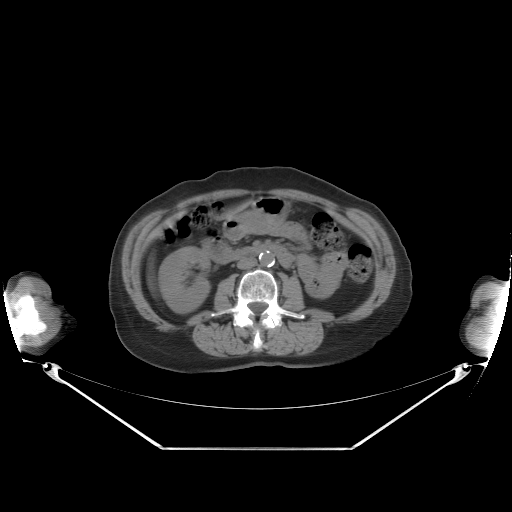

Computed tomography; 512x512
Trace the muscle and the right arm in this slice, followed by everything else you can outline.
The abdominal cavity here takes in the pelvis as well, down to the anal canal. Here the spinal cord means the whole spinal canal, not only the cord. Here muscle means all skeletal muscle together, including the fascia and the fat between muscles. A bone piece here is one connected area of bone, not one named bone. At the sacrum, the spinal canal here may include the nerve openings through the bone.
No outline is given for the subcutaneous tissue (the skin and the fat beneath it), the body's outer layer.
{"muscle":[{"outer":[[227,188],[242,188],[251,190],[255,189],[272,189],[273,188],[298,189],[326,198],[341,206],[355,207],[369,213],[381,224],[387,233],[391,242],[394,252],[394,256],[396,260],[396,273],[390,290],[390,293],[387,299],[380,306],[376,308],[369,316],[352,323],[336,324],[328,329],[325,332],[324,339],[320,346],[312,353],[302,356],[277,356],[266,354],[262,352],[257,354],[249,353],[242,356],[231,356],[227,358],[216,357],[201,351],[193,343],[190,336],[186,335],[181,331],[163,332],[156,329],[154,327],[155,325],[152,322],[145,319],[139,314],[127,293],[122,280],[121,254],[125,238],[130,228],[144,215],[153,210],[158,208],[169,207],[179,200],[193,195]],"hole":[[247,194],[306,202],[369,244],[375,275],[365,300],[339,316],[306,307],[298,278],[280,273],[278,304],[305,316],[261,326],[259,350],[252,328],[210,315],[236,303],[235,273],[218,282],[212,309],[181,324],[160,316],[142,288],[143,256],[190,211]]},[[23,276],[33,276],[44,281],[50,290],[51,304],[61,312],[59,331],[47,342],[36,347],[27,343],[16,344],[13,337],[37,334],[45,328],[46,326],[39,322],[33,299],[29,294],[21,296],[15,318],[8,321],[2,294],[7,293]],[[487,281],[491,281],[499,285],[507,291],[507,295],[506,296],[505,312],[499,334],[495,341],[496,344],[494,348],[487,348],[486,349],[485,347],[476,348],[470,345],[465,337],[465,328],[474,314],[474,310],[472,307],[472,297],[474,291],[479,285]]],"right_arm":[[[22,270],[33,270],[41,274],[51,287],[53,299],[56,302],[63,304],[66,309],[77,318],[78,321],[75,329],[70,334],[66,335],[47,352],[42,355],[33,355],[19,351],[8,324],[9,322],[2,293],[8,283],[7,280],[9,277]]],"spinal_cord":[[[253,302],[262,302],[263,303],[265,303],[267,305],[267,306],[259,314],[259,315],[258,315],[257,316],[254,313],[254,312],[248,306],[248,305],[250,303],[252,303]]],"torso":[[[274,165],[295,167],[322,178],[373,202],[386,215],[406,249],[412,269],[412,301],[399,328],[359,359],[316,368],[258,365],[223,372],[184,373],[151,365],[131,354],[117,336],[107,290],[112,248],[126,219],[145,201],[182,180],[203,178],[220,169]]],"left_arm":[[[484,274],[491,274],[497,278],[508,281],[510,283],[506,290],[507,295],[505,312],[499,334],[495,341],[496,344],[493,349],[492,355],[480,357],[470,352],[462,344],[458,335],[458,327],[461,319],[468,308],[469,293],[471,287],[473,283],[480,276]]],"bones":[{"outer":[[255,269],[266,270],[274,276],[278,285],[277,302],[281,307],[305,316],[300,319],[283,315],[281,325],[272,328],[261,326],[262,344],[259,350],[253,347],[252,328],[234,325],[231,313],[210,315],[236,303],[236,287],[240,278],[246,272]],"hole":[[253,302],[262,302],[263,303],[265,303],[267,305],[267,306],[259,314],[259,315],[258,315],[257,316],[254,313],[254,312],[248,306],[248,305],[250,303],[252,303]]},[[27,295],[29,295],[30,296],[34,303],[34,308],[38,316],[38,322],[43,324],[45,326],[42,331],[37,333],[24,333],[22,335],[13,335],[8,323],[11,321],[13,321],[16,318],[16,316],[19,312],[19,300],[20,298],[23,296],[26,296]]],"abdominal_cavity":[[[247,194],[306,202],[369,244],[375,275],[365,300],[336,316],[329,310],[306,307],[295,275],[280,273],[277,281],[270,271],[255,268],[246,271],[237,284],[235,273],[221,279],[212,309],[181,324],[160,316],[142,288],[143,256],[190,211],[218,199]]]}